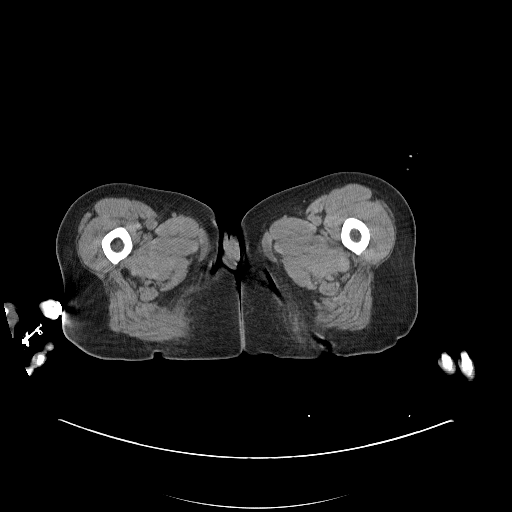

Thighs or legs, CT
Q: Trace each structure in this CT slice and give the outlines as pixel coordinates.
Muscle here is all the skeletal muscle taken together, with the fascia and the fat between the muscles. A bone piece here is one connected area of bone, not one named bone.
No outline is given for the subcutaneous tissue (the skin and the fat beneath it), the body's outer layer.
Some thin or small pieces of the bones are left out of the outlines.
A: {"left_leg":[[[339,171],[360,171],[386,180],[403,195],[413,213],[418,312],[410,331],[394,346],[378,353],[341,356],[326,351],[315,359],[293,359],[279,358],[268,353],[251,355],[243,352],[240,286],[243,276],[240,222],[243,216],[259,201],[276,192]]],"bones":[[[118,226],[122,226],[124,227],[129,233],[130,237],[131,238],[131,240],[132,241],[132,249],[130,253],[126,257],[119,261],[118,263],[116,264],[113,264],[104,254],[104,252],[101,246],[101,240],[103,236],[107,232],[113,229],[115,227],[117,227]],[[348,217],[355,217],[361,220],[366,224],[366,225],[369,229],[369,233],[370,234],[369,242],[366,248],[359,255],[357,255],[355,253],[354,253],[352,251],[345,247],[343,245],[341,241],[341,238],[340,237],[341,227],[342,226],[342,224],[344,220]],[[463,351],[465,351],[467,353],[473,365],[473,376],[471,378],[469,378],[467,377],[463,373],[463,372],[460,368],[460,363],[461,362],[461,357],[460,355],[461,354],[461,352]],[[46,300],[53,300],[54,301],[57,302],[59,304],[59,310],[58,311],[58,313],[54,317],[48,317],[47,316],[44,315],[44,314],[43,313],[43,312],[41,309],[41,307],[40,306],[41,305],[41,303],[42,302],[43,302]],[[444,352],[445,353],[446,353],[451,358],[451,359],[452,360],[452,362],[453,363],[453,366],[454,367],[454,371],[451,373],[450,373],[449,372],[448,372],[447,371],[446,371],[440,365],[440,362],[441,361],[441,355],[442,354],[442,353],[443,353]]],"left_arm":[[[463,351],[465,351],[469,356],[475,371],[475,375],[474,377],[471,378],[472,379],[471,380],[466,379],[459,367],[455,368],[454,371],[450,374],[446,374],[440,368],[437,360],[441,356],[442,353],[444,352],[454,362],[456,362],[460,358],[461,352]]],"right_leg":[{"outer":[[110,182],[191,196],[213,210],[221,233],[225,229],[236,235],[240,262],[232,273],[236,287],[240,287],[242,342],[242,352],[237,357],[178,360],[155,353],[147,360],[108,360],[84,352],[65,336],[61,314],[66,296],[55,250],[56,234],[76,198]],"hole":[[220,245],[221,246],[221,253],[220,254],[220,261],[221,262],[221,264],[220,265],[219,265],[217,267],[216,267],[215,268],[215,266],[216,265],[216,264],[217,263],[217,261],[218,260],[218,256],[219,255],[219,247],[220,246]]}],"right_arm":[[[51,341],[53,342],[53,348],[51,350],[49,350],[46,354],[48,358],[48,361],[39,366],[36,366],[32,370],[31,375],[29,376],[24,367],[26,368],[27,367],[27,364],[30,362],[31,358],[38,352],[42,351],[45,345]],[[5,301],[9,301],[13,303],[19,309],[19,311],[17,313],[18,315],[18,321],[16,323],[16,324],[13,328],[13,333],[12,334],[10,333],[10,331],[7,327],[7,324],[6,323],[6,320],[5,319],[5,312],[3,308],[3,304],[5,302]],[[46,300],[53,300],[56,302],[57,301],[59,301],[61,303],[61,313],[60,315],[57,318],[55,319],[52,319],[50,317],[48,317],[44,315],[41,308],[39,306],[39,304],[40,302],[42,301],[45,301]]],"muscle":[{"outer":[[113,196],[152,202],[172,212],[190,216],[207,233],[209,245],[206,257],[189,271],[172,295],[180,300],[182,308],[193,323],[191,336],[179,341],[143,341],[109,329],[108,298],[101,282],[80,262],[76,251],[76,237],[78,225],[90,205],[101,198]],"hole":[[118,226],[122,226],[124,227],[129,233],[130,237],[131,238],[131,240],[132,241],[132,249],[130,253],[126,257],[119,261],[118,263],[116,264],[113,264],[104,254],[104,252],[101,246],[101,240],[103,236],[107,232],[113,229],[115,227],[117,227]]},{"outer":[[348,183],[365,184],[382,194],[393,213],[396,230],[395,243],[390,256],[375,271],[371,322],[366,329],[358,332],[316,328],[313,323],[314,312],[306,298],[298,291],[298,288],[286,274],[270,261],[260,249],[262,235],[274,220],[296,206]],"hole":[[348,217],[355,217],[361,220],[366,224],[366,225],[369,229],[369,233],[370,234],[369,242],[366,248],[359,255],[357,255],[355,253],[354,253],[352,251],[345,247],[343,245],[341,241],[341,238],[340,237],[341,227],[342,226],[342,224],[344,220]]}]}